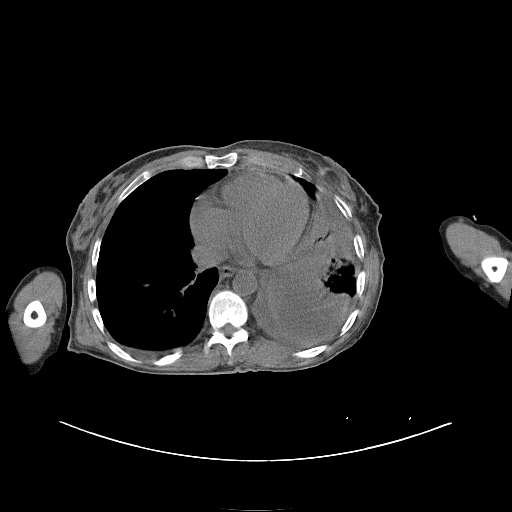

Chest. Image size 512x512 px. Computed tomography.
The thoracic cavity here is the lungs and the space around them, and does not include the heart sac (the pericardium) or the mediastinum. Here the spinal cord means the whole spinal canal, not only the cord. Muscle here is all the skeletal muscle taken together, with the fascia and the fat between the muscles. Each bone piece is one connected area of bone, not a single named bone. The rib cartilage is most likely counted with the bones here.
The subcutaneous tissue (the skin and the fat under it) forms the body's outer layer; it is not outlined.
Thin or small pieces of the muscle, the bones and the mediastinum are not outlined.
{"bones":[{"outer":[[221,290],[230,290],[237,294],[244,301],[248,310],[248,320],[244,326],[248,331],[248,340],[235,344],[231,350],[231,357],[228,355],[225,346],[221,343],[213,344],[207,353],[203,350],[204,343],[212,330],[207,315],[208,302],[211,297]],"hole":[[227,323],[229,323],[231,325],[232,325],[235,328],[235,330],[231,334],[231,335],[230,335],[229,336],[227,336],[226,335],[225,335],[221,331],[221,328],[225,324],[226,324]]},[[232,151],[240,155],[256,154],[259,156],[263,156],[275,162],[277,168],[262,167],[259,165],[248,164],[240,165],[238,163],[227,168],[204,167],[186,169],[179,168],[173,165],[173,163],[176,160],[188,155],[204,156],[212,154],[216,156],[221,156]],[[486,256],[501,256],[502,257],[504,257],[505,258],[506,258],[508,260],[508,265],[507,266],[506,271],[504,274],[504,276],[499,282],[491,282],[488,279],[488,277],[482,269],[482,268],[481,267],[481,261],[482,260],[482,259]],[[35,299],[38,299],[41,302],[44,308],[45,313],[46,314],[46,320],[43,325],[39,327],[37,327],[36,328],[32,328],[31,327],[28,327],[24,324],[23,322],[23,313],[24,312],[24,310],[27,304],[30,301],[32,300],[34,300]],[[144,170],[151,170],[153,173],[153,175],[147,180],[146,180],[144,182],[143,182],[141,184],[140,184],[118,204],[116,201],[117,200],[117,198],[120,194],[120,193],[133,180],[133,179],[136,176],[137,176],[141,172],[142,172]],[[323,344],[327,344],[329,345],[330,347],[324,350],[322,352],[319,353],[317,355],[313,356],[312,357],[298,357],[297,356],[294,356],[292,354],[292,353],[295,351],[305,350],[306,349],[309,349],[310,348],[312,348],[316,346],[319,346]],[[107,340],[109,340],[115,343],[123,350],[124,350],[126,352],[130,354],[134,358],[138,360],[140,360],[141,362],[140,363],[137,363],[136,362],[131,362],[130,361],[124,360],[122,358],[118,356],[110,349],[110,348],[108,346],[106,342]],[[176,349],[181,349],[182,350],[182,354],[179,358],[178,358],[176,360],[175,360],[172,363],[171,363],[170,364],[167,364],[166,365],[155,365],[152,363],[152,360],[153,360],[154,359],[158,359],[165,355],[170,354],[171,353],[172,353]],[[334,195],[337,195],[338,196],[339,196],[347,204],[347,205],[350,208],[350,210],[351,211],[351,214],[352,215],[351,216],[351,218],[350,219],[346,219],[346,218],[343,215],[343,214],[340,211],[340,210],[338,208],[338,207],[334,202]],[[361,270],[363,270],[365,272],[365,283],[364,284],[364,289],[363,290],[363,291],[362,292],[362,294],[361,295],[361,297],[360,298],[359,298],[357,296],[356,296],[355,295],[356,294],[356,274],[358,272],[359,272]],[[356,308],[359,309],[359,312],[357,314],[355,318],[355,320],[354,322],[352,324],[350,328],[347,331],[346,331],[342,335],[339,335],[340,330],[342,326],[344,324],[345,321],[347,319],[348,316],[350,314],[350,313],[354,309]],[[356,234],[358,234],[360,236],[360,237],[361,238],[361,240],[362,241],[362,244],[363,245],[363,257],[362,258],[362,259],[360,259],[357,257],[357,256],[355,253],[355,250],[354,249],[354,244],[353,243],[353,237],[354,236],[354,235],[355,235]],[[99,237],[101,238],[101,243],[100,244],[100,247],[99,248],[99,255],[98,256],[98,259],[97,260],[97,264],[96,265],[96,267],[94,268],[92,266],[92,262],[91,261],[91,256],[92,255],[92,252],[93,251],[94,243],[96,239]],[[89,278],[94,278],[95,279],[95,293],[96,294],[96,300],[94,302],[91,302],[90,301],[90,299],[89,298],[89,295],[88,294],[88,288],[87,287],[87,284],[88,283],[88,279]],[[93,307],[97,307],[98,308],[99,313],[101,316],[101,318],[102,319],[102,321],[103,322],[103,324],[104,325],[104,327],[105,328],[104,329],[104,332],[102,332],[99,329],[98,326],[96,324],[96,323],[93,318],[93,315],[92,314],[92,308]],[[298,167],[301,167],[302,168],[302,169],[309,176],[309,178],[307,180],[306,179],[305,179],[304,178],[303,178],[302,177],[298,177],[297,176],[295,176],[294,175],[293,175],[292,174],[292,173],[291,172],[295,168],[297,168]]],"pericardium":[[[248,169],[270,169],[277,173],[288,176],[299,183],[314,202],[312,222],[304,241],[286,267],[277,273],[257,274],[216,261],[215,259],[204,255],[197,248],[197,244],[192,234],[190,226],[190,214],[192,206],[196,202],[197,198],[206,190],[234,172]]],"left_arm":[[[454,214],[465,215],[471,219],[474,217],[478,223],[488,224],[495,227],[511,240],[511,291],[510,292],[510,298],[508,300],[508,305],[506,308],[502,307],[492,298],[483,293],[474,283],[466,279],[447,258],[438,232],[438,227],[441,221],[444,218]]],"thoracic_cavity":[[[204,168],[223,168],[226,171],[194,198],[189,214],[189,228],[194,242],[190,250],[192,259],[202,270],[215,268],[218,276],[207,302],[208,326],[191,344],[158,358],[134,355],[114,341],[98,307],[96,276],[102,239],[118,205],[154,175],[172,169]],[[292,175],[314,184],[318,190],[335,204],[347,220],[355,254],[355,296],[353,309],[339,332],[329,341],[299,350],[286,347],[262,334],[249,318],[250,309],[253,310],[259,302],[267,278],[285,274],[296,264],[312,235],[319,216],[318,202],[307,193]]],"right_arm":[[[40,265],[53,265],[63,272],[66,280],[67,293],[66,316],[68,317],[69,314],[69,322],[68,327],[65,325],[63,328],[57,351],[45,361],[37,373],[30,375],[21,361],[14,341],[11,338],[12,334],[8,326],[5,306],[20,279],[30,270]]],"spinal_cord":[[[227,323],[229,323],[231,325],[232,325],[235,328],[235,330],[231,334],[231,335],[230,335],[229,336],[227,336],[226,335],[225,335],[221,331],[221,328],[225,324],[226,324]]],"mediastinum":[[[313,199],[318,216],[307,243],[289,270],[266,278],[253,309],[249,311],[245,301],[230,289],[218,290],[210,297],[218,282],[218,271],[213,266],[202,269],[194,261],[191,250],[195,242],[204,256],[216,262],[257,275],[277,274],[297,254],[311,229]],[[247,165],[249,166],[259,166],[262,168],[271,168],[290,172],[291,177],[283,173],[277,172],[270,168],[248,168],[234,171],[217,183],[212,185],[211,187],[206,189],[210,185],[217,182],[222,178],[227,173],[226,169],[234,166],[246,166]]],"muscle":[[[187,150],[207,154],[184,155],[172,163],[178,168],[155,174],[151,169],[144,169],[136,175],[117,196],[117,206],[102,238],[97,237],[93,243],[90,261],[96,268],[96,275],[87,279],[87,294],[91,303],[97,303],[91,308],[95,324],[102,333],[105,329],[113,340],[105,341],[109,349],[127,362],[142,362],[133,355],[153,359],[151,363],[155,366],[166,366],[179,359],[182,349],[194,343],[209,326],[211,330],[203,343],[203,352],[207,354],[213,345],[221,344],[231,358],[235,345],[249,340],[245,327],[249,319],[262,335],[295,350],[291,353],[294,357],[312,358],[329,349],[327,343],[338,334],[342,336],[355,322],[360,312],[359,308],[354,308],[355,297],[362,297],[366,283],[366,272],[361,269],[356,273],[356,256],[363,259],[364,245],[358,233],[352,235],[348,220],[353,215],[346,202],[368,231],[369,246],[374,246],[379,260],[372,305],[360,328],[347,341],[321,359],[301,365],[266,367],[237,363],[204,370],[148,369],[77,342],[75,319],[83,286],[82,274],[106,202],[138,168]],{"outer":[[43,271],[52,271],[57,274],[60,278],[62,284],[61,309],[57,319],[56,328],[54,334],[51,338],[48,348],[32,364],[24,364],[21,361],[14,341],[11,338],[12,334],[8,326],[8,317],[12,308],[12,303],[20,290],[31,281],[39,272]],"hole":[[35,299],[38,299],[41,302],[44,308],[45,313],[46,314],[46,320],[43,325],[39,327],[37,327],[36,328],[32,328],[31,327],[28,327],[24,324],[23,322],[23,313],[24,312],[24,310],[27,304],[30,301],[32,300],[34,300]]},{"outer":[[459,219],[461,219],[464,223],[474,228],[481,230],[489,235],[494,236],[498,240],[503,249],[511,251],[511,291],[510,292],[510,298],[508,300],[506,300],[496,290],[490,289],[471,268],[464,265],[460,261],[450,248],[446,238],[445,230],[448,224]],"hole":[[486,256],[501,256],[502,257],[504,257],[505,258],[506,258],[508,260],[508,265],[507,266],[506,271],[504,274],[504,276],[499,282],[491,282],[488,279],[488,277],[482,269],[482,268],[481,267],[481,261],[482,260],[482,259]]},[[238,147],[246,147],[250,149],[270,152],[294,159],[303,164],[314,175],[323,180],[339,195],[334,194],[333,201],[318,189],[314,183],[308,180],[310,176],[301,166],[295,167],[291,171],[278,169],[276,162],[272,159],[256,153],[240,154],[232,150]]],"torso":[[[243,139],[286,141],[328,155],[344,167],[379,206],[382,216],[378,231],[384,254],[383,286],[374,317],[361,338],[315,367],[295,371],[210,375],[141,373],[67,350],[72,271],[65,240],[77,206],[89,189],[122,163],[152,149],[180,144],[219,147]]]}